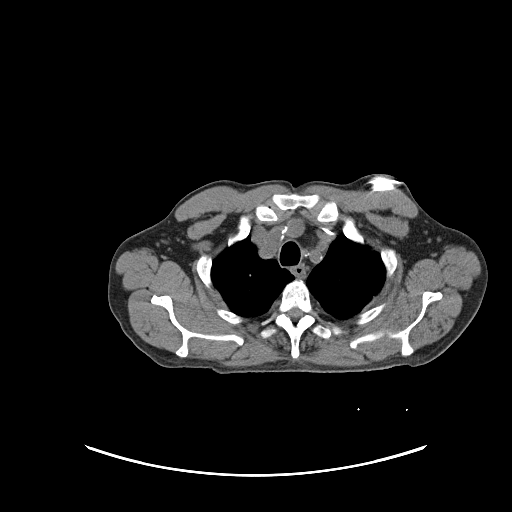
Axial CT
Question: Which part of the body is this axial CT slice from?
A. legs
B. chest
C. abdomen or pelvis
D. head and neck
Answer: B. chest
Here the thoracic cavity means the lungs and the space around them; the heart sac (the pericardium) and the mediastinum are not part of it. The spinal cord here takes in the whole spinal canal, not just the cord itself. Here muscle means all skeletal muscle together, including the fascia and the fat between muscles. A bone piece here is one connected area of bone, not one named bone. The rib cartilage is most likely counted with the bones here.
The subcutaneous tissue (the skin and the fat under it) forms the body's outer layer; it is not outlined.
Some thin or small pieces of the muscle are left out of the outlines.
The mediastinum is outlined by 293,217 298,217 310,225 321,229 339,231 330,243 324,257 311,270 305,281 299,278 295,278 287,269 280,267 278,262 274,258 261,257 258,254 257,248 252,241 250,233 252,225 254,224 267,226 277,225. The spinal cord is outlined by 295,307 296,307 297,308 298,308 303,313 303,314 295,322 294,322 290,318 290,317 287,314 287,312 290,309 291,309 292,308 294,308. The muscle is outlined by 270,184 291,190 310,185 363,191 400,189 418,210 399,246 406,261 428,258 450,244 469,248 479,260 480,274 467,291 452,328 415,351 409,341 411,330 429,304 443,297 440,290 424,290 419,312 405,327 396,331 380,328 348,343 354,350 361,343 384,336 398,339 398,356 353,366 288,360 226,366 216,360 188,358 189,339 232,341 241,346 244,338 236,333 191,330 178,320 169,294 153,293 150,302 167,311 180,332 181,343 173,353 140,338 129,322 127,298 115,271 119,256 148,247 186,267 191,258 190,243 174,216 182,203 214,186 247,191 with holes at 242,215 250,215 252,225 277,225 298,217 340,232 343,221 351,217 365,244 378,252 384,247 396,252 395,270 367,306 385,306 360,325 353,317 335,319 320,309 323,319 344,332 326,339 307,328 296,359 284,329 278,327 267,338 260,335 266,315 237,324 226,321 216,312 227,307 224,300 213,286 206,287 196,262 202,254 213,259 227,246 and at 291,192 318,194 321,202 334,201 339,211 339,219 336,222 319,222 316,219 317,210 315,207 309,209 299,206 294,210 278,209 278,220 275,222 258,221 254,214 257,205 261,203 271,205 271,197 273,194. The torso is outlined by 371,173 403,181 430,216 470,236 486,261 487,286 478,311 433,360 414,367 354,372 218,373 161,366 122,331 107,297 112,256 123,240 164,218 190,191 220,179 242,183 283,179 296,186 311,180 343,184. The thoracic cavity appears in 2 outlined pieces: piece 1: 340,232 349,240 362,245 366,244 373,250 377,251 385,269 385,281 383,286 379,292 373,297 367,308 363,309 353,317 346,319 335,319 321,310 318,302 314,300 306,284 306,280 312,270 325,257 331,243; piece 2: 250,234 251,241 256,248 257,254 263,259 274,259 280,268 287,270 294,278 285,284 279,298 272,304 266,315 245,317 230,310 226,305 220,293 213,285 211,270 213,259 218,254 226,247 230,247 242,241. The bones appear in 10 outlined pieces: piece 1: 294,279 305,282 311,297 318,304 321,317 344,331 338,335 332,334 326,339 312,332 310,327 307,328 300,337 299,355 296,359 291,356 290,338 284,329 278,327 267,338 260,335 260,322 280,298 286,284; inner edge: 295,307 296,307 297,308 298,308 303,313 303,314 295,322 294,322 290,318 290,317 287,314 287,312 290,309 291,309 292,308 294,308; piece 2: 291,192 318,194 321,202 334,201 339,211 339,219 336,222 319,222 316,219 317,210 315,207 309,209 299,206 294,210 278,209 278,220 275,222 258,221 254,214 257,205 261,203 271,205 271,197 273,194; piece 3: 424,291 440,291 442,297 428,304 422,318 410,330 408,341 414,349 413,353 402,356 400,352 401,341 386,335 373,341 361,342 354,349 350,347 351,340 364,334 380,329 396,332 405,328 420,312; piece 4: 153,294 171,297 174,314 177,320 187,329 205,334 236,334 243,338 243,343 238,345 232,340 211,340 193,336 187,342 187,356 176,355 175,351 182,343 181,332 170,320 168,311 164,307 151,302; piece 5: 202,254 207,254 212,258 212,263 211,264 211,269 210,270 210,277 211,278 211,281 212,282 212,285 213,286 211,289 207,288 206,287 204,283 199,277 197,270 196,269 196,262 197,261 197,259; piece 6: 242,215 250,215 251,216 251,228 250,229 250,232 249,234 242,240 237,241 233,243 230,246 227,246 227,240 228,238 230,236 235,234 238,231 238,228 237,227 238,226 238,223 239,222 239,218; piece 7: 384,247 389,247 390,248 392,248 394,249 396,252 396,257 397,258 397,265 395,268 395,270 393,272 392,275 388,279 386,279 386,269 381,259 381,257 380,256 380,253 379,252 380,250; piece 8: 347,217 351,217 353,219 353,221 354,222 354,224 355,225 355,226 363,237 363,239 364,240 364,243 363,244 362,244 361,243 359,243 358,242 355,242 354,241 349,239 342,232 342,224 343,223 343,221; piece 9: 383,302 384,302 386,304 385,306 380,312 380,313 373,319 364,324 361,324 360,325 359,324 356,324 355,323 354,321 355,320 354,317 356,315 357,315 363,310 366,310 369,308 371,308 374,306 376,306; piece 10: 227,307 230,311 240,316 242,316 244,317 245,318 245,320 237,324 232,324 226,321 221,317 220,317 217,314 216,312 216,309 218,308 226,308.